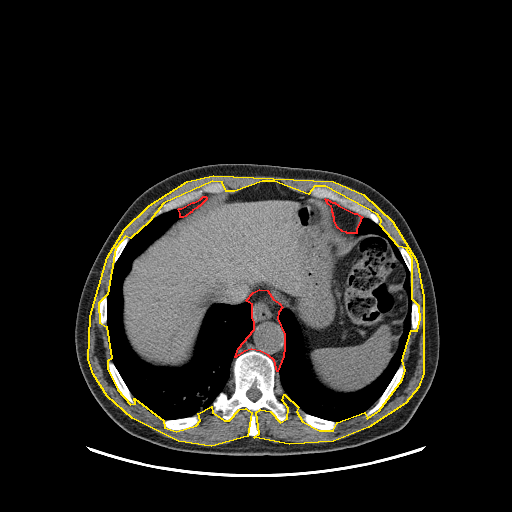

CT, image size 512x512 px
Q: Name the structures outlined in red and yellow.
A: red: mediastinum; yellow: muscle.
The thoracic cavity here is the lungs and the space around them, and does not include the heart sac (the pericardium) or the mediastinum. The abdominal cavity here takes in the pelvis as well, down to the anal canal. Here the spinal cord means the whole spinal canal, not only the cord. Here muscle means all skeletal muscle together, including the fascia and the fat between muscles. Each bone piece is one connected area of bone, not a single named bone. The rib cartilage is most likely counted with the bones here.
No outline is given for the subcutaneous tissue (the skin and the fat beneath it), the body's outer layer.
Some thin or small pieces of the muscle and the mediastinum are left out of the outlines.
Outlines (x, y in pixels):
mediastinum 1: (259, 289) (267, 290) (273, 299) (279, 303) (282, 307) (278, 312) (277, 318) (284, 334) (284, 347) (283, 356) (277, 371) (274, 360) (268, 355) (260, 351) (251, 349) (244, 351) (235, 357) (238, 348) (254, 329) (254, 322) (252, 317) (252, 304) (246, 300) (253, 292)
mediastinum 2: (325, 199) (327, 199) (332, 202) (334, 202) (338, 205) (354, 213) (356, 213) (362, 217) (360, 219) (360, 221) (356, 228) (356, 233) (347, 233) (346, 232) (342, 231) (337, 227) (334, 220) (334, 217) (333, 216) (333, 213) (332, 212) (332, 208) (331, 206) (328, 204)
mediastinum 3: (203, 196) (205, 196) (206, 197) (206, 199) (199, 206) (198, 206) (196, 208) (192, 210) (191, 212) (190, 212) (185, 216) (183, 217) (180, 217) (180, 213) (178, 209) (179, 208) (181, 208) (192, 202) (194, 202) (200, 199)
muscle: (213, 175) (333, 181) (363, 194) (392, 221) (416, 260) (423, 296) (423, 373) (418, 387) (405, 403) (368, 427) (333, 441) (289, 444) (254, 437) (259, 433) (256, 412) (260, 409) (270, 411) (280, 422) (287, 418) (288, 408) (282, 400) (284, 394) (298, 407) (296, 411) (302, 421) (319, 430) (333, 430) (337, 422) (364, 412) (367, 418) (379, 410) (402, 379) (405, 370) (402, 360) (410, 333) (411, 330) (417, 330) (420, 319) (419, 306) (412, 299) (412, 258) (406, 248) (398, 246) (380, 225) (381, 220) (377, 214) (325, 186) (314, 186) (308, 194) (274, 181) (262, 181) (234, 191) (226, 191) (222, 182) (212, 181) (163, 203) (149, 221) (130, 238) (125, 236) (115, 248) (107, 294) (98, 303) (99, 322) (106, 326) (111, 358) (107, 361) (107, 368) (117, 389) (130, 404) (135, 403) (134, 398) (163, 420) (164, 427) (176, 431) (196, 425) (200, 420) (198, 413) (211, 406) (212, 412) (224, 420) (229, 420) (239, 409) (245, 408) (251, 412) (247, 436) (211, 446) (178, 441) (132, 418) (107, 396) (93, 374) (88, 359) (90, 316) (107, 257) (124, 229) (149, 205) (187, 181)
bones 1: (251, 350) (273, 360) (275, 378) (284, 393) (281, 400) (287, 408) (286, 418) (282, 421) (264, 407) (256, 411) (255, 425) (258, 433) (254, 436) (247, 433) (252, 413) (247, 408) (241, 407) (229, 419) (224, 419) (214, 413) (212, 407) (217, 396) (228, 390) (234, 359); inner edge: (252, 387) (254, 387) (255, 388) (258, 389) (260, 391) (260, 392) (261, 393) (261, 395) (260, 396) (260, 397) (258, 399) (257, 399) (254, 401) (251, 400) (247, 396) (247, 395) (246, 394) (247, 391) (250, 388) (251, 388)
bones 2: (314, 187) (325, 187) (328, 189) (332, 190) (342, 197) (346, 197) (352, 199) (377, 215) (380, 220) (380, 224) (378, 224) (374, 222) (371, 219) (362, 216) (358, 213) (354, 212) (327, 198) (319, 198) (318, 197) (314, 197) (312, 196) (310, 194) (310, 190)
bones 3: (212, 182) (220, 182) (222, 183) (225, 186) (225, 192) (222, 193) (204, 193) (200, 198) (194, 201) (192, 201) (181, 207) (174, 208) (171, 210) (163, 212) (154, 217) (154, 214) (163, 204) (174, 199) (178, 196) (188, 193) (191, 191) (198, 190) (205, 184) (211, 183)
bones 4: (401, 363) (404, 365) (404, 370) (403, 371) (403, 374) (401, 377) (401, 379) (398, 385) (390, 397) (385, 402) (385, 403) (379, 409) (372, 413) (369, 416) (366, 417) (365, 416) (366, 412) (372, 406) (374, 405) (374, 404) (381, 396) (391, 381) (392, 378) (394, 376)
bones 5: (298, 408) (301, 409) (304, 412) (310, 415) (312, 415) (313, 416) (315, 416) (322, 419) (325, 419) (326, 420) (329, 420) (330, 421) (334, 421) (336, 422) (337, 424) (333, 429) (329, 429) (328, 430) (319, 429) (318, 428) (313, 427) (303, 421) (297, 411) (297, 409)
bones 6: (109, 360) (112, 361) (115, 367) (117, 369) (120, 376) (122, 378) (123, 381) (125, 383) (126, 386) (131, 393) (133, 397) (133, 399) (134, 400) (134, 403) (130, 403) (121, 393) (121, 392) (118, 389) (117, 386) (115, 384) (110, 374) (110, 372) (108, 368) (108, 361)
bones 7: (195, 414) (197, 414) (198, 415) (199, 420) (196, 424) (190, 427) (188, 427) (184, 429) (178, 429) (176, 430) (175, 429) (170, 429) (169, 428) (167, 428) (163, 425) (163, 421) (164, 420) (169, 420) (170, 419) (177, 419) (178, 418) (185, 418) (186, 417) (190, 417)
bones 8: (104, 295) (106, 295) (106, 296) (107, 297) (107, 319) (106, 320) (106, 325) (102, 325) (101, 324) (101, 323) (100, 322) (100, 318) (99, 317) (99, 303) (100, 302) (100, 300) (101, 299) (101, 298)
bones 9: (413, 302) (415, 302) (417, 304) (417, 305) (418, 306) (418, 309) (419, 310) (419, 319) (418, 320) (418, 323) (417, 324) (417, 328) (416, 329) (416, 330) (413, 330) (412, 329) (411, 329) (411, 310) (412, 309) (412, 303)
bones 10: (400, 246) (402, 246) (405, 248) (405, 249) (408, 252) (408, 253) (411, 258) (411, 261) (412, 262) (412, 265) (413, 266) (413, 270) (411, 272) (410, 272) (409, 271) (409, 270) (408, 269) (408, 268) (403, 259) (403, 257) (399, 250) (399, 248) (398, 247) (399, 247)
bones 11: (125, 237) (128, 237) (129, 238) (129, 239) (128, 240) (127, 243) (125, 245) (124, 248) (122, 250) (119, 257) (117, 259) (117, 260) (115, 262) (115, 263) (114, 263) (112, 261) (112, 258) (113, 257) (113, 254) (114, 253) (116, 248) (120, 243) (120, 242)
torso: (219, 163) (268, 164) (345, 174) (376, 189) (404, 217) (432, 279) (439, 325) (439, 357) (427, 393) (399, 431) (355, 447) (322, 453) (278, 456) (193, 453) (162, 447) (128, 433) (96, 401) (80, 370) (74, 339) (80, 295) (96, 256) (120, 217) (146, 189) (182, 170)
spinal cord: (252, 387) (254, 387) (255, 388) (258, 389) (260, 391) (260, 392) (261, 393) (261, 395) (260, 396) (260, 397) (258, 399) (257, 399) (254, 401) (251, 400) (247, 396) (247, 395) (246, 394) (247, 391) (250, 388) (251, 388)
abdominal cavity: (262, 182) (324, 199) (339, 230) (384, 237) (404, 267) (403, 331) (385, 369) (361, 389) (336, 392) (314, 379) (294, 314) (264, 288) (239, 303) (213, 303) (201, 323) (193, 355) (182, 366) (142, 360) (126, 337) (122, 284) (134, 259) (199, 207) (206, 194) (234, 192)
thoracic cavity 1: (174, 209) (179, 217) (133, 259) (121, 284) (122, 326) (131, 349) (152, 366) (184, 366) (194, 355) (208, 309) (216, 303) (249, 302) (253, 329) (234, 354) (227, 390) (197, 413) (162, 419) (133, 396) (112, 360) (107, 295) (114, 266) (129, 240) (153, 218)
thoracic cavity 2: (363, 217) (387, 233) (410, 274) (410, 332) (399, 366) (373, 405) (353, 417) (335, 421) (304, 411) (277, 380) (285, 347) (278, 315) (284, 308) (293, 314) (301, 330) (307, 369) (325, 388) (351, 393) (380, 376) (404, 331) (408, 314) (406, 271) (384, 236) (357, 233)